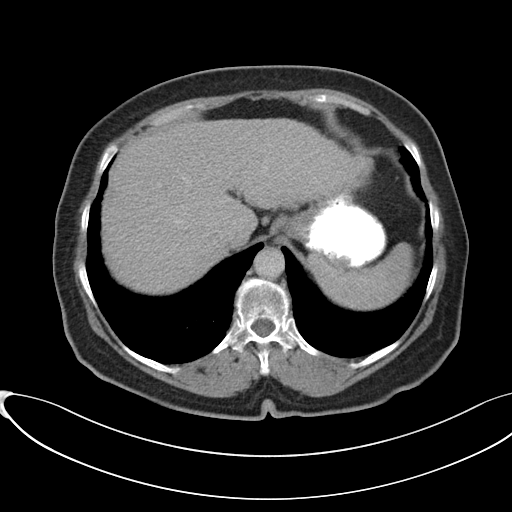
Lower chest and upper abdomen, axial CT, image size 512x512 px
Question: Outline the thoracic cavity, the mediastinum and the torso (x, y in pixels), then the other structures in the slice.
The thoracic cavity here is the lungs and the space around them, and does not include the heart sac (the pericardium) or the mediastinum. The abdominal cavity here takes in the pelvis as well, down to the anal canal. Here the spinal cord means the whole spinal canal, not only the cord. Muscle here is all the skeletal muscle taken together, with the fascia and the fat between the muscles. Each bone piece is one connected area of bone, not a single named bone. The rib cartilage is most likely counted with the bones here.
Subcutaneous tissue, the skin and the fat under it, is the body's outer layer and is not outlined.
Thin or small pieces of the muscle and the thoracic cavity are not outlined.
Answer: {"thoracic_cavity":[[[111,160],[99,208],[100,253],[109,277],[129,292],[147,297],[173,296],[193,286],[226,258],[258,242],[262,243],[235,291],[234,309],[227,331],[208,353],[200,357],[166,364],[142,355],[118,337],[99,308],[86,268],[87,232],[91,205],[101,176]],[[401,145],[419,169],[432,231],[432,265],[422,301],[408,327],[393,342],[364,356],[347,358],[328,354],[310,344],[296,325],[282,247],[293,254],[321,295],[340,309],[375,312],[401,298],[420,273],[426,247],[425,203],[414,190],[410,174],[401,161]]],"mediastinum":[[[277,232],[282,232],[286,235],[285,241],[281,247],[281,250],[283,253],[285,260],[286,282],[289,293],[278,283],[264,278],[256,277],[255,276],[243,278],[246,272],[251,266],[255,255],[257,252],[262,248],[263,246],[262,241],[267,237],[270,237]],[[336,106],[343,106],[345,108],[351,109],[366,116],[372,117],[376,120],[381,122],[393,137],[400,142],[400,145],[398,147],[395,147],[394,148],[387,148],[386,147],[382,147],[378,145],[368,145],[366,141],[359,134],[348,128],[336,116],[335,114]]],"torso":[[[274,64],[327,66],[365,75],[403,95],[429,120],[440,141],[469,240],[459,337],[439,369],[421,384],[355,411],[282,418],[268,413],[253,421],[168,408],[95,375],[76,358],[64,333],[52,247],[56,208],[70,161],[96,121],[154,84],[211,68]]],"bones":[{"outer":[[251,277],[278,284],[289,294],[295,325],[302,337],[322,352],[319,355],[312,355],[297,344],[284,351],[272,341],[266,346],[269,372],[262,375],[257,354],[259,346],[253,341],[246,343],[241,351],[228,346],[210,353],[232,323],[238,287],[243,279]],"hole":[[258,319],[268,319],[269,320],[270,320],[273,323],[273,324],[274,325],[274,328],[267,335],[266,335],[265,336],[261,336],[260,335],[259,335],[252,328],[252,325],[253,324],[253,323],[256,320],[257,320]]},[[320,93],[329,94],[330,95],[336,95],[339,97],[344,98],[366,108],[368,110],[368,113],[367,114],[364,114],[351,108],[345,107],[340,104],[334,105],[325,102],[316,102],[313,100],[311,100],[308,98],[308,96],[314,95],[315,94],[319,94]],[[197,103],[200,103],[202,105],[197,108],[195,108],[193,110],[192,113],[190,113],[184,116],[178,117],[175,119],[172,119],[163,123],[160,123],[157,125],[153,125],[151,123],[152,121],[171,109],[177,108],[181,106],[184,106],[187,104],[196,104]],[[120,342],[122,342],[131,350],[134,351],[136,353],[142,356],[144,356],[147,358],[152,359],[160,363],[165,364],[170,367],[178,367],[180,368],[180,369],[175,374],[172,374],[168,372],[164,372],[163,371],[157,370],[139,361],[130,355],[121,346]],[[398,339],[400,339],[401,341],[400,343],[394,349],[393,349],[384,356],[376,360],[374,362],[366,366],[358,367],[357,368],[352,368],[348,365],[348,364],[351,362],[357,362],[358,361],[360,361],[366,356],[371,354],[377,350],[379,350],[393,343]],[[80,261],[83,261],[85,263],[85,268],[86,269],[86,273],[87,274],[89,285],[91,288],[91,291],[98,306],[98,308],[99,309],[98,310],[94,306],[90,300],[88,295],[86,293],[81,283],[81,281],[79,277],[79,274],[78,273],[78,264]],[[111,144],[115,144],[117,146],[117,148],[118,149],[115,153],[115,154],[113,156],[113,157],[108,163],[107,166],[105,168],[103,172],[101,174],[100,174],[98,172],[98,169],[99,168],[99,165],[100,164],[100,162],[102,158],[102,155],[105,149]],[[433,262],[436,262],[437,263],[437,267],[438,268],[437,269],[437,274],[436,275],[435,282],[434,283],[433,288],[431,291],[431,293],[427,300],[425,302],[423,302],[423,298],[426,292],[426,287],[427,286],[428,279],[429,278],[429,276],[432,269]],[[429,200],[432,201],[432,202],[438,208],[438,212],[439,213],[439,223],[438,224],[438,227],[437,228],[437,230],[435,232],[433,232],[433,231],[432,230],[432,227],[431,226],[431,222],[430,221],[430,214],[429,213],[429,205],[428,204],[428,201]],[[406,140],[410,140],[412,141],[415,144],[418,150],[418,153],[420,157],[420,160],[421,161],[421,167],[419,167],[418,166],[416,161],[414,159],[414,158],[412,156],[410,152],[403,145],[403,142]],[[88,202],[89,202],[90,203],[90,209],[89,210],[89,217],[88,218],[88,224],[87,225],[87,231],[86,232],[86,233],[83,233],[81,230],[81,216],[82,215],[82,212],[83,211],[83,210],[84,209],[84,208],[85,207],[86,204]]],"abdominal_cavity":[[[240,98],[333,105],[335,116],[368,146],[398,148],[413,190],[424,203],[425,247],[417,277],[395,302],[366,312],[332,304],[284,245],[287,235],[282,231],[226,257],[193,285],[173,295],[137,294],[110,277],[101,253],[100,208],[118,150],[144,128]]],"muscle":[[[307,88],[334,89],[358,97],[385,114],[417,144],[440,201],[445,232],[445,277],[431,323],[384,366],[327,396],[303,395],[270,376],[262,376],[255,385],[235,396],[209,397],[144,372],[92,330],[74,278],[78,210],[102,153],[95,197],[91,204],[89,201],[85,204],[80,216],[80,230],[86,234],[86,258],[77,264],[78,277],[93,306],[121,341],[120,346],[157,371],[175,375],[181,368],[170,364],[190,362],[209,353],[214,355],[228,347],[241,352],[249,342],[258,346],[258,371],[262,376],[270,372],[267,346],[272,342],[284,352],[297,345],[312,356],[325,353],[347,359],[364,357],[347,365],[352,369],[366,367],[401,343],[399,338],[422,302],[430,297],[439,268],[433,261],[433,233],[438,230],[440,213],[433,201],[426,198],[419,150],[410,139],[402,145],[381,121],[366,115],[369,110],[358,103],[323,92],[307,98],[329,104],[301,104],[282,97],[240,97],[193,113],[203,105],[187,103],[162,113],[121,147],[118,148],[111,143],[105,148],[110,141],[145,116],[179,101],[244,90]]],"spinal_cord":[[[258,319],[268,319],[269,320],[270,320],[273,323],[273,324],[274,325],[274,328],[267,335],[266,335],[265,336],[261,336],[260,335],[259,335],[252,328],[252,325],[253,324],[253,323],[256,320],[257,320]]]}